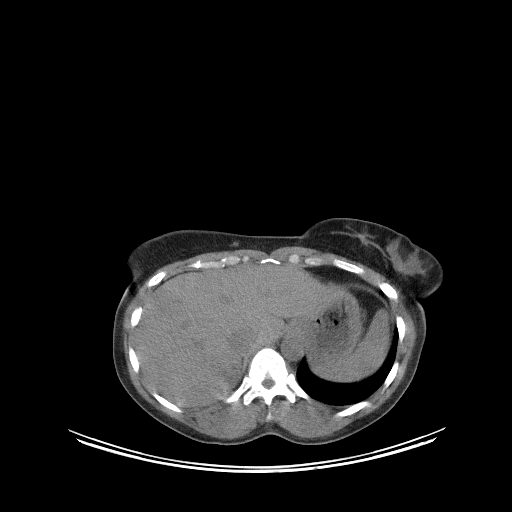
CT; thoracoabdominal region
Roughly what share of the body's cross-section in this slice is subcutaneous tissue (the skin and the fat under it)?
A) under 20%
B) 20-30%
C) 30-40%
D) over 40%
B) 20-30%
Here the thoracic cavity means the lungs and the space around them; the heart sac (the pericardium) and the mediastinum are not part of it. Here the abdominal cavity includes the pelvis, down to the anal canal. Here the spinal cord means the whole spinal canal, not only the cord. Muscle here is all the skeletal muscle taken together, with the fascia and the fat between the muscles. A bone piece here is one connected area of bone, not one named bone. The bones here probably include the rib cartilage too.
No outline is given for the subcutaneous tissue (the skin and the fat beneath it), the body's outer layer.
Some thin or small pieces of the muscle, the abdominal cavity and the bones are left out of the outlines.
The thoracic cavity is outlined by [[396,328],[397,347],[395,359],[382,384],[367,398],[349,405],[332,405],[311,397],[299,384],[295,372],[300,361],[303,358],[309,371],[314,376],[320,380],[332,384],[349,385],[359,384],[364,380],[373,376],[382,367],[388,357],[392,346],[394,330]]. The mediastinum appears in 2 outlined pieces: piece 1: [[287,337],[293,337],[296,339],[298,339],[302,344],[303,353],[300,357],[301,358],[297,365],[297,367],[295,371],[293,370],[290,370],[289,369],[286,360],[276,349],[270,346],[266,346],[272,341],[274,340],[277,340],[278,338],[286,338]]; piece 2: [[323,265],[326,266],[332,266],[338,269],[347,271],[360,276],[368,282],[371,283],[374,286],[377,287],[389,300],[389,302],[380,293],[369,284],[364,283],[361,281],[341,281],[340,280],[327,279],[319,275],[309,267],[315,267],[316,266],[322,266]]. The muscle is outlined by [[286,246],[312,248],[361,263],[383,275],[403,295],[416,337],[404,376],[390,397],[331,434],[313,438],[299,437],[276,423],[266,422],[243,436],[218,438],[155,408],[130,379],[122,336],[125,311],[147,279],[145,286],[153,287],[143,305],[137,305],[130,314],[129,324],[135,331],[133,347],[127,348],[128,360],[132,370],[136,374],[140,372],[151,388],[150,394],[169,410],[181,413],[182,408],[203,410],[221,402],[237,404],[241,397],[245,406],[260,397],[269,408],[275,397],[283,396],[288,404],[299,397],[347,406],[334,413],[341,418],[370,407],[368,398],[381,386],[384,391],[391,384],[399,370],[398,343],[403,341],[407,326],[400,314],[394,315],[390,303],[390,300],[398,301],[396,289],[387,281],[378,280],[376,286],[362,277],[366,272],[362,266],[338,257],[332,257],[330,265],[326,265],[321,256],[302,258],[296,252],[287,261],[270,256],[249,261],[247,254],[228,254],[217,259],[196,259],[187,264],[191,269],[167,277],[165,269],[154,273],[167,264],[203,253],[236,249],[269,253]]; inner edge: [[269,410],[270,411],[270,412],[271,413],[271,414],[272,415],[272,419],[271,420],[270,420],[269,421],[266,421],[266,415],[267,414],[267,413],[268,412],[268,411]]. The bones appear in 12 outlined pieces: piece 1: [[263,347],[273,348],[283,357],[288,369],[295,373],[298,384],[311,398],[310,400],[297,396],[293,403],[288,403],[283,395],[277,395],[269,407],[260,396],[255,397],[247,405],[243,403],[241,396],[237,403],[223,401],[239,386],[248,371],[253,355]], around a hole outlined by [[267,378],[269,378],[270,379],[271,379],[274,382],[274,384],[272,386],[271,386],[269,388],[267,388],[266,387],[265,387],[262,384],[262,382],[265,379],[266,379]]; piece 2: [[228,255],[236,255],[241,257],[244,255],[247,255],[249,256],[249,259],[248,261],[246,262],[240,262],[234,265],[226,265],[223,267],[190,268],[188,266],[188,264],[199,259],[204,261],[207,261],[208,260],[217,260],[224,256],[227,256]]; piece 3: [[332,258],[338,258],[339,259],[347,261],[350,263],[353,263],[360,267],[362,267],[364,269],[365,272],[364,274],[362,275],[359,275],[356,273],[354,273],[347,270],[344,270],[343,269],[338,268],[335,266],[333,266],[331,265],[330,263],[330,260]]; piece 4: [[293,253],[296,253],[298,254],[302,259],[305,257],[310,257],[311,256],[318,256],[319,257],[321,257],[325,261],[325,263],[322,265],[316,265],[315,266],[308,266],[307,265],[305,265],[302,260],[299,263],[291,263],[289,261],[288,261],[288,257]]; piece 5: [[366,399],[370,401],[371,403],[371,405],[370,406],[368,407],[364,407],[360,409],[358,411],[350,415],[347,415],[346,416],[342,416],[341,417],[336,417],[334,415],[336,412],[342,409],[344,409],[350,405],[355,404],[358,402],[360,402]]; piece 6: [[378,281],[383,281],[384,282],[387,282],[388,283],[389,283],[395,289],[395,290],[396,291],[396,292],[397,293],[397,301],[394,301],[393,300],[391,300],[390,299],[389,299],[382,292],[382,291],[377,286],[377,282]]; piece 7: [[153,390],[154,390],[159,395],[160,395],[162,397],[165,398],[170,402],[175,404],[177,406],[178,406],[180,408],[181,408],[182,409],[182,411],[181,412],[176,412],[175,411],[174,411],[171,409],[169,409],[167,407],[162,405],[151,394],[151,392]]; piece 8: [[395,360],[397,360],[399,363],[399,364],[398,365],[398,370],[397,371],[397,372],[396,373],[396,375],[393,379],[393,380],[390,383],[390,384],[384,390],[383,390],[382,389],[382,385],[383,384],[388,373],[390,371]]; piece 9: [[161,270],[165,270],[166,271],[166,272],[167,273],[166,274],[166,276],[159,283],[158,283],[156,285],[155,285],[154,286],[152,286],[151,287],[147,287],[146,286],[146,282],[148,280],[148,279],[152,275],[155,274],[157,272],[158,272]]; piece 10: [[396,315],[400,315],[402,317],[402,318],[405,323],[405,325],[406,326],[406,330],[405,331],[405,333],[404,334],[404,336],[403,337],[403,339],[402,340],[402,341],[400,343],[399,343],[398,342],[398,331],[397,330],[397,328],[396,327]]; piece 11: [[130,346],[131,346],[133,348],[133,349],[135,351],[135,353],[137,356],[137,358],[138,359],[138,361],[139,362],[139,371],[137,373],[136,373],[133,370],[133,368],[132,367],[132,366],[131,365],[131,363],[129,360],[129,355],[128,354],[128,348]]; piece 12: [[137,306],[141,306],[142,307],[142,312],[141,313],[141,315],[140,316],[140,318],[139,319],[139,321],[138,322],[138,323],[134,327],[131,327],[131,325],[130,324],[130,320],[131,319],[131,314],[132,313],[132,311]]. The abdominal cavity is outlined by [[247,262],[300,264],[327,280],[372,287],[390,304],[395,316],[391,346],[381,367],[359,383],[325,381],[314,375],[301,357],[302,342],[287,336],[258,349],[238,386],[211,407],[180,407],[152,389],[140,371],[134,349],[136,326],[150,292],[179,272]]. The spinal cord is outlined by [[267,378],[269,378],[270,379],[271,379],[274,382],[274,384],[272,386],[271,386],[269,388],[267,388],[266,387],[265,387],[262,384],[262,382],[265,379],[266,379]]. The torso is outlined by [[331,217],[388,226],[428,250],[443,267],[441,285],[420,302],[426,336],[415,374],[386,414],[324,444],[298,444],[268,434],[242,444],[221,445],[176,432],[132,399],[115,371],[112,330],[116,308],[130,281],[126,257],[134,247],[184,228],[298,235]].